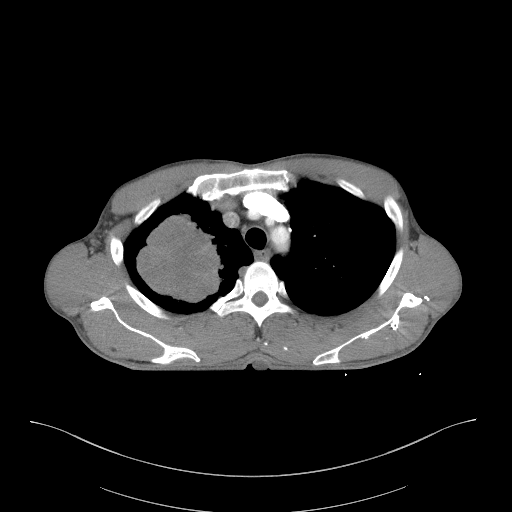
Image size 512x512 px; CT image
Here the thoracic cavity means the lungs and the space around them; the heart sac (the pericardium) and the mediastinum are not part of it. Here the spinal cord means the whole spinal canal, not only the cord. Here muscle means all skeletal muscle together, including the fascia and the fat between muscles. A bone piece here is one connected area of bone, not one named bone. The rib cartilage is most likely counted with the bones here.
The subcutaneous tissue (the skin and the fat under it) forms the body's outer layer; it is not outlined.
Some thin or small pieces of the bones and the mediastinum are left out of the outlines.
{"spinal_cord":[[[260,291],[261,292],[263,292],[266,295],[266,296],[267,297],[267,300],[262,305],[257,305],[256,304],[255,304],[253,302],[253,301],[252,300],[252,298],[253,297],[253,296],[257,292],[259,292]]],"mediastinum":[[[262,190],[286,193],[284,201],[290,214],[290,251],[285,257],[273,256],[269,263],[263,260],[253,261],[252,252],[244,243],[240,232],[235,228],[224,225],[221,214],[212,210],[209,205],[209,203],[220,200],[225,195],[236,196],[246,192],[261,192]]],"torso":[[[299,152],[349,156],[391,172],[402,185],[419,225],[456,260],[462,275],[461,295],[411,352],[346,371],[257,371],[250,364],[242,371],[135,371],[92,352],[71,324],[47,304],[43,278],[50,258],[94,227],[109,196],[126,180],[188,158],[254,163]]],"bones":[{"outer":[[254,261],[263,261],[268,263],[277,277],[283,281],[291,302],[290,303],[296,310],[295,313],[274,312],[265,318],[259,327],[255,320],[244,311],[235,311],[220,317],[214,311],[208,310],[208,307],[213,302],[232,289],[236,280],[244,273],[245,268]],"hole":[[260,291],[261,292],[263,292],[266,295],[266,296],[267,297],[267,300],[262,305],[257,305],[256,304],[255,304],[253,302],[253,301],[252,300],[252,298],[253,297],[253,296],[257,292],[259,292]]},[[255,167],[270,170],[285,169],[294,174],[297,178],[296,186],[292,187],[286,192],[272,189],[262,189],[261,191],[246,191],[236,195],[225,194],[220,199],[208,202],[198,197],[194,197],[185,191],[199,175],[211,173],[230,173],[239,171],[244,168]],[[102,296],[110,299],[119,316],[132,327],[149,333],[167,344],[190,348],[200,360],[197,362],[190,358],[180,358],[166,364],[150,361],[151,358],[159,356],[163,352],[163,348],[152,339],[126,328],[117,320],[110,309],[105,308],[93,311],[90,303]],[[405,292],[411,292],[416,296],[422,297],[421,303],[414,307],[402,307],[389,324],[372,333],[367,338],[357,338],[341,348],[338,352],[340,362],[319,365],[313,364],[312,361],[318,354],[334,348],[350,338],[374,328],[388,320],[392,316],[403,293]],[[125,283],[128,283],[134,286],[147,298],[148,298],[158,306],[164,309],[167,312],[169,316],[169,319],[163,319],[162,318],[159,318],[156,316],[154,316],[144,310],[141,307],[140,307],[132,299],[132,298],[127,292],[124,286],[124,284]],[[400,247],[402,247],[404,250],[403,257],[402,258],[402,261],[401,262],[400,267],[394,279],[387,288],[387,289],[380,296],[377,296],[376,289],[379,285],[384,275],[386,273],[391,263],[391,261],[394,256],[394,254],[396,250]],[[386,195],[390,195],[392,196],[393,198],[397,202],[397,203],[400,207],[400,209],[401,210],[401,213],[402,214],[402,218],[403,219],[403,227],[402,228],[402,230],[400,232],[396,231],[394,224],[388,217],[383,208],[383,200],[384,199],[384,197]],[[157,197],[159,197],[160,198],[162,203],[151,214],[151,215],[147,219],[146,219],[141,224],[140,224],[138,226],[135,227],[134,226],[134,217],[135,216],[135,215],[138,212],[138,211],[142,207],[143,207],[146,204],[147,204],[151,200],[152,200]],[[112,234],[113,235],[115,235],[117,237],[118,237],[122,241],[122,242],[123,243],[123,264],[122,264],[120,266],[117,266],[115,264],[115,263],[113,261],[113,260],[112,259],[112,257],[111,256],[111,253],[110,252],[110,236]],[[337,178],[342,178],[343,179],[352,183],[354,185],[357,186],[366,196],[366,197],[367,198],[367,200],[364,200],[363,199],[361,199],[360,198],[353,195],[351,193],[348,192],[346,190],[343,189],[341,187],[338,186],[336,183],[336,179]]],"thoracic_cavity":[[[300,178],[337,186],[361,200],[382,207],[394,226],[395,251],[378,285],[363,302],[343,313],[323,315],[306,311],[295,305],[290,299],[284,281],[278,277],[270,263],[273,257],[285,258],[291,251],[291,214],[286,205],[285,196],[292,188],[297,186]],[[184,192],[207,202],[212,211],[218,212],[223,225],[239,232],[243,243],[252,255],[252,262],[244,268],[243,273],[235,280],[229,291],[219,296],[207,308],[188,313],[166,310],[147,297],[134,285],[124,263],[124,242],[132,230],[147,220],[162,204]]],"muscle":[[[300,157],[350,160],[387,174],[407,210],[410,237],[427,237],[453,263],[458,275],[455,296],[409,346],[343,365],[320,365],[340,363],[341,349],[389,325],[402,308],[421,304],[423,297],[411,291],[402,293],[388,319],[318,353],[313,365],[288,363],[260,351],[222,365],[172,364],[180,359],[198,363],[198,354],[132,326],[106,295],[89,303],[93,312],[110,310],[126,329],[162,348],[149,359],[154,363],[114,357],[89,340],[75,317],[52,303],[47,291],[51,264],[77,243],[95,252],[104,248],[105,234],[115,223],[109,210],[118,190],[157,170],[195,162],[254,167],[199,174],[164,203],[157,196],[142,206],[123,242],[115,234],[109,236],[111,259],[117,267],[124,264],[133,284],[123,286],[144,311],[163,320],[170,319],[167,311],[206,309],[220,318],[244,312],[260,328],[274,313],[294,315],[291,303],[331,316],[356,308],[375,291],[380,297],[404,257],[404,248],[396,249],[396,232],[404,227],[400,205],[390,194],[382,206],[369,201],[342,177],[333,185],[298,179],[285,168],[259,167]]]}